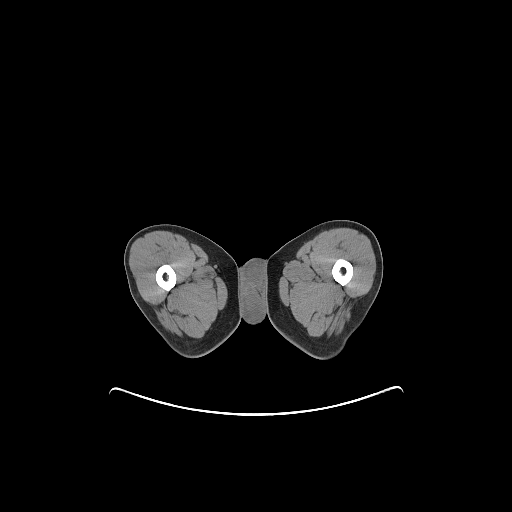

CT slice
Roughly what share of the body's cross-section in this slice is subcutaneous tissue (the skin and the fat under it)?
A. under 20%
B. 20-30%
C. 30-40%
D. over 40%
Answer: C. 30-40%
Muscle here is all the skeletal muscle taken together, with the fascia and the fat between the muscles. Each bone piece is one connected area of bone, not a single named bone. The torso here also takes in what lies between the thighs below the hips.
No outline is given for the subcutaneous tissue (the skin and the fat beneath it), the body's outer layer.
left leg: [[332,219],[348,219],[357,221],[367,226],[375,234],[383,257],[383,277],[379,291],[370,309],[361,324],[347,340],[343,350],[337,356],[331,359],[320,359],[305,353],[286,340],[274,328],[267,317],[268,303],[267,265],[269,256],[286,242],[312,226]]
right leg: [[162,223],[176,224],[184,226],[206,236],[228,252],[233,257],[238,267],[239,324],[233,333],[223,343],[212,351],[200,357],[186,358],[179,355],[171,349],[140,311],[131,296],[128,286],[126,273],[124,269],[124,250],[129,238],[138,230],[146,226]]
bones 1: [[338,258],[343,258],[349,261],[352,264],[352,266],[353,267],[353,275],[351,279],[347,283],[347,284],[345,285],[341,285],[338,282],[337,282],[333,278],[332,276],[332,274],[331,273],[331,269],[333,265],[335,263],[335,262]]
bones 2: [[163,264],[168,264],[169,265],[170,265],[172,267],[172,268],[175,273],[175,285],[169,291],[166,291],[164,289],[163,289],[161,287],[160,287],[157,284],[157,283],[156,282],[156,280],[155,279],[155,273],[156,272],[156,270],[161,265],[162,265]]
torso: [[253,257],[261,257],[262,258],[266,258],[268,257],[268,259],[267,260],[267,264],[266,265],[266,284],[267,285],[266,317],[265,317],[260,323],[252,325],[245,322],[243,320],[240,322],[240,308],[239,307],[239,267],[238,265],[243,264],[246,261]]
muscle 1: [[327,227],[350,227],[365,234],[376,247],[377,250],[377,267],[375,278],[371,288],[362,297],[359,302],[354,306],[350,319],[343,331],[331,342],[321,343],[308,336],[280,307],[278,295],[278,276],[280,268],[284,261],[293,255],[303,243],[311,239]] with a hole at [[338,258],[343,258],[349,261],[352,264],[352,266],[353,267],[353,275],[351,279],[347,283],[347,284],[345,285],[341,285],[338,282],[337,282],[333,278],[332,276],[332,274],[331,273],[331,269],[333,265],[335,263],[335,262]]
muscle 2: [[160,229],[174,230],[179,232],[200,246],[207,255],[210,256],[222,269],[223,275],[228,284],[229,295],[225,309],[210,332],[202,341],[187,343],[182,339],[174,337],[160,323],[152,307],[142,298],[137,289],[128,261],[131,245],[145,232],[149,230]], around a hole outlined by [[163,264],[168,264],[169,265],[170,265],[172,267],[172,268],[175,273],[175,285],[169,291],[166,291],[164,289],[163,289],[161,287],[160,287],[157,284],[157,283],[156,282],[156,280],[155,279],[155,273],[156,272],[156,270],[161,265],[162,265]]